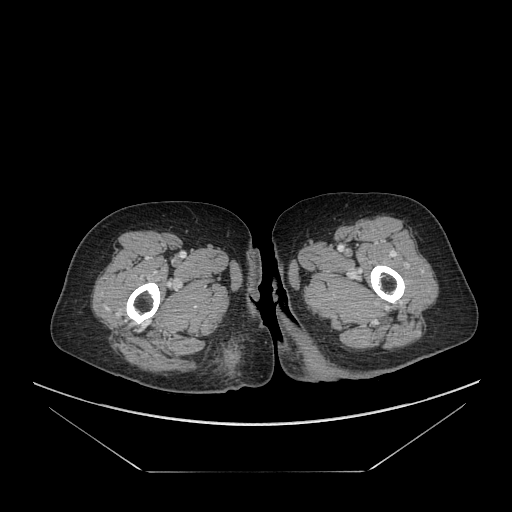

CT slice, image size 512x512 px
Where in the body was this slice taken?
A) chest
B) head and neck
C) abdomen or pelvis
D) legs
Answer: D) legs
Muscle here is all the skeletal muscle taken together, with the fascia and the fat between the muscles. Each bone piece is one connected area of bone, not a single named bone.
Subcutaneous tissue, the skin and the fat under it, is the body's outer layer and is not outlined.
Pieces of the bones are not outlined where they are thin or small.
The bones appear in 2 outlined pieces: piece 1: 148 281; 151 281; 157 284; 159 289; 159 292; 160 293; 160 303; 158 306; 157 310; 152 317; 147 319; 142 323; 139 323; 137 324; 135 323; 134 321; 126 314; 126 311; 125 310; 126 302; 129 295; 133 290; 134 290; 138 286; piece 2: 378 264; 380 264; 381 265; 386 265; 396 270; 402 276; 404 280; 404 282; 405 283; 405 289; 404 290; 404 293; 399 299; 399 300; 398 300; 393 304; 382 299; 373 290; 373 289; 371 287; 371 282; 370 281; 370 272; 373 267. The left leg is outlined by 339 191; 401 194; 419 201; 432 212; 450 241; 478 306; 478 325; 467 342; 372 378; 303 382; 284 373; 277 355; 277 341; 281 333; 275 314; 276 304; 271 294; 272 279; 279 278; 271 240; 272 229; 278 216; 296 202; 322 193 with a hole at 279 280; 280 281; 281 286; 282 287; 282 288; 284 291; 284 293; 285 294; 285 305; 289 312; 289 314; 290 315; 290 316; 289 316; 283 309; 281 304; 279 302; 279 295; 277 292; 277 291; 278 290; 278 286; 279 285. The muscle appears in 2 outlined pieces: piece 1: 144 227; 170 230; 194 244; 218 245; 230 250; 240 264; 241 280; 235 296; 222 320; 205 362; 197 370; 181 374; 156 374; 130 365; 115 354; 108 344; 108 330; 92 312; 90 306; 92 288; 99 272; 110 259; 114 241; 127 230 with a hole at 148 281; 151 281; 157 284; 159 289; 159 292; 160 293; 160 303; 158 306; 157 310; 152 317; 147 319; 142 323; 139 323; 137 324; 135 323; 134 321; 126 314; 126 311; 125 310; 126 302; 129 295; 133 290; 134 290; 138 286; piece 2: 378 214; 386 214; 404 219; 413 226; 417 236; 418 249; 435 272; 439 285; 439 293; 436 302; 425 314; 427 329; 418 341; 409 347; 386 354; 359 354; 345 350; 335 343; 306 310; 289 279; 289 263; 295 250; 302 242; 340 224; inner edge: 378 264; 380 264; 381 265; 386 265; 396 270; 402 276; 404 280; 404 282; 405 283; 405 289; 404 290; 404 293; 399 299; 399 300; 398 300; 393 304; 382 299; 373 290; 373 289; 371 287; 371 282; 370 281; 370 272; 373 267. The right leg is outlined by 163 200; 219 205; 236 214; 250 231; 252 243; 258 247; 261 256; 260 297; 255 305; 270 331; 274 352; 274 372; 265 385; 221 394; 160 391; 84 363; 59 350; 52 341; 49 329; 51 315; 71 257; 83 236; 99 220; 119 208.